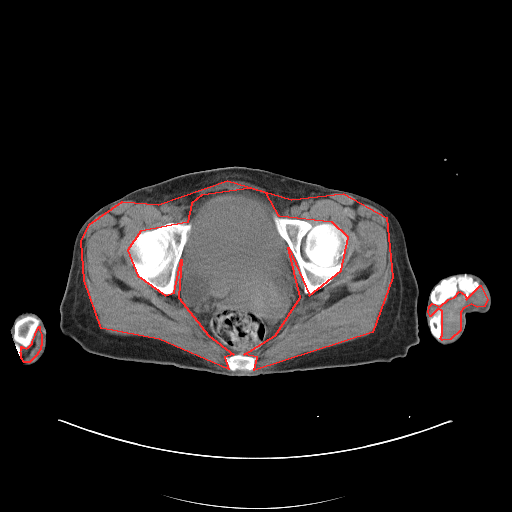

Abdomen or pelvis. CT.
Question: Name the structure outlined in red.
Answer: red: muscle.
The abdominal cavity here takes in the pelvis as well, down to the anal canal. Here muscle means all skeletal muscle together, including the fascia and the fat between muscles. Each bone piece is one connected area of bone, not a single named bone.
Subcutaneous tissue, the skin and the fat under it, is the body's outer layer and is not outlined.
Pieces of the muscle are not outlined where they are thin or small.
{"muscle":[[[227,180],[291,199],[343,193],[386,217],[392,277],[372,332],[254,370],[257,357],[244,354],[275,335],[300,297],[288,247],[309,295],[341,270],[348,237],[332,222],[279,216],[266,193],[250,188],[201,195],[191,203],[187,222],[140,231],[127,250],[137,275],[165,295],[174,292],[181,259],[178,297],[208,335],[233,354],[224,357],[228,369],[159,339],[101,328],[84,280],[81,241],[89,224],[122,201],[158,204]],[[480,285],[487,299],[484,306],[477,307],[471,304],[463,308],[460,312],[460,330],[450,339],[442,340],[440,338],[442,335],[442,311],[438,308],[430,316],[428,312],[429,306],[432,303],[440,306],[448,299],[454,297],[459,291],[464,294],[466,299]],[[39,326],[39,330],[41,334],[41,345],[40,346],[40,349],[37,353],[37,354],[29,362],[24,362],[21,358],[21,353],[20,352],[21,350],[21,346],[22,347],[24,347],[26,348],[28,347],[32,343],[32,341],[35,335],[35,333]]],"right_arm":[[[24,311],[32,311],[35,312],[43,321],[46,330],[45,349],[42,355],[34,363],[29,365],[25,365],[23,363],[22,360],[20,358],[19,359],[18,352],[12,340],[12,333],[10,331],[11,326],[14,322],[15,317],[18,314]]],"abdominal_cavity":[[[240,189],[266,194],[272,201],[275,206],[272,217],[275,228],[287,244],[293,271],[301,289],[297,303],[274,335],[261,347],[249,353],[231,353],[224,348],[209,335],[204,322],[179,297],[182,283],[181,257],[192,227],[188,222],[192,203],[210,192]]],"torso":[[[227,166],[268,170],[353,192],[383,205],[396,216],[405,235],[419,289],[419,342],[408,349],[406,356],[390,362],[228,376],[170,364],[114,359],[90,353],[63,335],[59,327],[59,306],[66,287],[74,240],[82,224],[98,209],[133,190],[181,174]]],"left_arm":[[[456,273],[472,273],[479,276],[484,281],[488,288],[491,297],[491,303],[488,311],[485,313],[478,312],[467,313],[465,315],[464,329],[459,338],[452,343],[443,345],[439,343],[432,335],[431,330],[427,324],[425,315],[426,306],[428,298],[436,282]]],"bones":[[[274,215],[284,218],[304,220],[313,225],[325,222],[332,223],[339,226],[347,237],[347,247],[345,253],[341,258],[342,266],[340,270],[327,284],[320,289],[309,294],[306,294],[304,292],[304,286],[300,268],[288,244],[277,231],[273,217]],[[168,222],[179,222],[180,223],[190,223],[191,224],[191,227],[188,233],[187,241],[184,245],[180,259],[176,267],[174,289],[171,294],[165,294],[159,292],[146,283],[135,271],[134,267],[130,261],[128,251],[132,239],[138,233],[146,230],[155,229]],[[464,275],[472,278],[477,281],[479,284],[479,287],[475,291],[472,292],[468,297],[466,298],[465,294],[462,291],[459,290],[454,296],[448,298],[440,305],[436,305],[432,302],[430,298],[430,294],[436,285],[441,282],[442,280],[451,277],[457,277]],[[27,315],[36,317],[39,319],[40,322],[34,333],[31,343],[26,347],[21,345],[20,346],[20,350],[19,351],[20,353],[20,358],[19,359],[18,352],[16,349],[16,347],[14,345],[15,343],[13,337],[14,324],[18,319],[20,319]],[[234,354],[243,354],[244,355],[248,355],[249,356],[255,356],[256,357],[256,359],[254,362],[254,369],[251,371],[249,371],[248,370],[235,370],[234,371],[232,371],[230,370],[228,368],[228,365],[225,360],[225,357],[226,356],[230,356]],[[438,309],[439,309],[441,311],[441,335],[439,337],[439,339],[437,339],[435,337],[434,337],[434,336],[432,334],[432,333],[431,332],[431,330],[430,329],[430,326],[429,325],[429,319],[431,317],[431,316],[434,313],[434,312],[436,310],[437,310]]]}